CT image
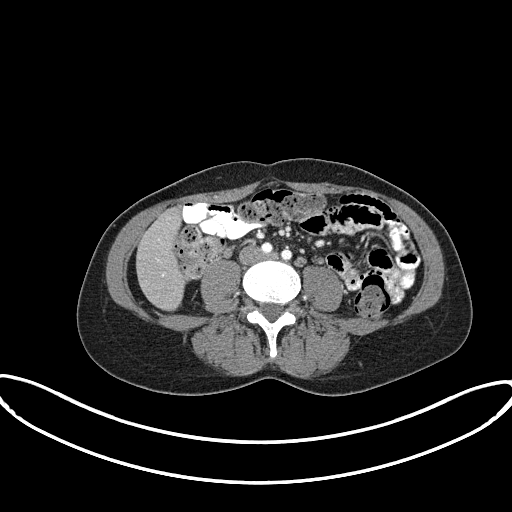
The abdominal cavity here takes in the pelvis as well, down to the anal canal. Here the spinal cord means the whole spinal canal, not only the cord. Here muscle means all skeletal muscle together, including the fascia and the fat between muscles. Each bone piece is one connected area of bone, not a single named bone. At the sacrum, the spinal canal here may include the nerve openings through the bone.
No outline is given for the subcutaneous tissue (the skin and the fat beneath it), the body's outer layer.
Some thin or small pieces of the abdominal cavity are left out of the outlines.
torso: 326 396; 359 393; 411 375; 455 353; 469 334; 472 301; 458 253; 443 224; 415 197; 342 162; 318 158; 272 163; 240 160; 205 168; 156 190; 107 226; 91 256; 76 305; 81 343; 104 371; 129 384; 173 395; 220 393; 271 378
muscle: 304 379; 313 379; 330 373; 341 363; 360 337; 384 327; 401 324; 433 306; 440 298; 444 281; 444 262; 441 249; 432 230; 410 207; 394 198; 361 187; 339 185; 329 182; 292 182; 267 177; 236 188; 196 193; 159 202; 137 213; 122 227; 108 252; 105 268; 107 289; 110 296; 117 304; 148 323; 176 331; 199 359; 221 374; 244 376; 254 373; 270 362; 273 362; 280 370; 292 376; inner edge: 272 358; 278 332; 296 321; 306 265; 329 268; 343 284; 340 317; 391 318; 409 305; 422 257; 388 202; 267 185; 237 201; 170 205; 146 228; 128 265; 137 302; 156 317; 209 314; 201 278; 215 261; 234 260; 250 298; 241 309
bones: 272 358; 277 354; 278 332; 284 326; 296 321; 295 316; 300 308; 295 305; 294 299; 301 289; 301 280; 291 265; 280 261; 263 260; 251 265; 242 276; 242 288; 250 301; 241 309; 247 312; 247 320; 260 326; 266 334; 269 355 with a hole at 270 321; 273 321; 274 320; 275 320; 284 311; 284 310; 285 309; 285 307; 284 307; 279 304; 274 304; 273 303; 262 303; 261 304; 260 304; 258 306; 258 309; 259 310; 259 311; 260 312; 261 312; 263 314; 263 315
spinal cord: 270 321; 273 321; 274 320; 275 320; 284 311; 284 310; 285 309; 285 307; 284 307; 279 304; 274 304; 273 303; 262 303; 261 304; 260 304; 258 306; 258 309; 259 310; 259 311; 260 312; 261 312; 263 314; 263 315
abdominal cavity: 369 319; 391 318; 409 305; 423 262; 395 208; 361 192; 267 185; 237 201; 170 205; 146 228; 128 265; 137 302; 156 317; 209 314; 199 284; 215 261; 236 261; 242 275; 274 259; 300 275; 310 264; 329 268; 344 289; 334 313